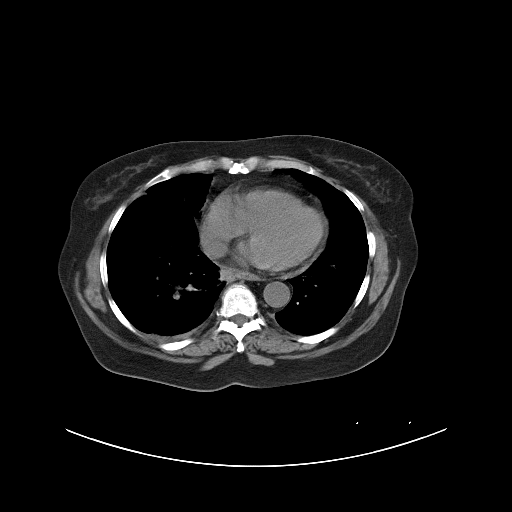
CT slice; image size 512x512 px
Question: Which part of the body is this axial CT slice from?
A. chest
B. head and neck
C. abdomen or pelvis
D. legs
Answer: A. chest
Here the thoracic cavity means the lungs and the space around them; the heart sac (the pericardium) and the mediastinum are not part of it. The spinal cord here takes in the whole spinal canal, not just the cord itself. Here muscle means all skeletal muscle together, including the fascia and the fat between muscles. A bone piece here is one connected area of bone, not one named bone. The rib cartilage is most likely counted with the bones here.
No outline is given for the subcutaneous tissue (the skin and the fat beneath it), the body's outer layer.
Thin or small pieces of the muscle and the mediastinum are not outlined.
{"muscle":[[[354,193],[366,202],[385,232],[388,246],[400,263],[399,275],[376,323],[347,345],[323,355],[263,365],[250,362],[244,353],[236,353],[202,370],[193,364],[121,346],[92,321],[75,294],[76,272],[85,264],[104,222],[118,206],[107,228],[110,236],[98,267],[101,283],[111,294],[107,303],[129,331],[156,336],[164,342],[158,344],[160,349],[175,351],[191,344],[195,340],[191,336],[215,318],[217,324],[211,337],[214,339],[222,331],[231,334],[238,353],[245,349],[243,338],[267,327],[267,322],[296,335],[293,338],[299,343],[317,344],[338,331],[336,324],[352,305],[359,305],[370,283],[366,271],[368,259],[376,252],[376,237],[366,229],[361,214],[364,206]],[[253,155],[286,155],[290,157],[294,157],[306,161],[308,163],[320,169],[322,169],[347,187],[343,187],[341,190],[338,189],[329,182],[320,177],[320,173],[313,166],[309,164],[305,164],[297,160],[284,159],[283,158],[266,158],[264,159],[259,155]],[[145,181],[146,181],[144,183],[144,187],[146,189],[145,190],[145,191],[141,195],[138,196],[135,199],[134,199],[127,206],[127,205],[124,203],[122,203],[121,204],[120,204],[120,203],[130,193],[130,192],[134,188],[135,188],[138,185],[143,183]],[[206,156],[219,156],[216,159],[214,159],[213,158],[207,158],[206,159],[200,159],[199,160],[197,160],[194,162],[192,162],[189,164],[186,164],[185,165],[174,165],[171,167],[166,167],[167,167],[168,166],[170,166],[171,165],[173,165],[174,164],[176,164],[177,163],[180,163],[181,162],[183,162],[184,161],[187,161],[188,160],[192,160],[193,159],[196,159],[197,158],[200,158],[201,157],[205,157]]],"mediastinum":[[[216,264],[233,271],[261,279],[265,279],[270,281],[287,280],[292,286],[292,295],[287,305],[283,309],[277,311],[273,317],[272,316],[268,317],[261,312],[258,307],[256,296],[245,284],[235,282],[224,289],[225,282],[220,279],[219,272],[220,268]],[[253,170],[274,170],[275,173],[291,175],[303,182],[307,189],[271,177],[246,177],[233,181],[222,189],[203,210],[197,226],[199,232],[199,239],[199,233],[195,224],[194,217],[199,215],[199,211],[206,199],[212,179],[212,175],[209,173],[227,171],[229,174],[247,174]]],"pericardium":[[[246,178],[278,179],[310,191],[315,194],[320,200],[329,224],[326,242],[319,255],[306,268],[296,275],[287,279],[273,280],[249,275],[222,266],[214,262],[200,249],[199,244],[200,232],[198,226],[202,218],[204,210],[206,209],[208,204],[231,183]]],"thoracic_cavity":[[[185,173],[211,175],[205,199],[193,219],[198,233],[198,248],[219,268],[219,279],[224,282],[224,286],[220,304],[214,312],[215,317],[209,324],[188,337],[164,341],[156,335],[137,329],[112,297],[108,286],[107,248],[112,232],[134,200],[148,188]],[[289,168],[319,177],[341,191],[361,215],[368,246],[365,274],[352,304],[334,325],[309,335],[292,333],[270,323],[265,317],[273,318],[288,305],[293,295],[293,286],[288,279],[302,272],[320,255],[330,229],[319,197],[303,181],[291,174],[274,171]]],"bones":[{"outer":[[235,283],[245,285],[253,293],[257,307],[267,323],[267,326],[263,326],[260,330],[252,330],[242,338],[244,346],[242,352],[237,351],[237,340],[231,333],[222,330],[214,338],[212,337],[213,330],[218,324],[215,312],[221,304],[221,295],[226,288]],"hole":[[237,314],[241,314],[242,315],[243,315],[244,316],[245,316],[246,317],[247,317],[247,318],[248,319],[245,322],[244,322],[240,326],[239,326],[235,322],[234,322],[231,319],[231,318],[233,316],[234,316],[235,315],[236,315]]},[[220,156],[235,161],[250,156],[259,156],[264,160],[297,161],[313,167],[319,176],[289,167],[271,170],[260,166],[247,173],[229,173],[226,169],[216,168],[203,172],[180,173],[146,188],[145,183],[165,168],[185,166],[200,160],[216,160]],[[335,325],[338,327],[338,329],[337,331],[336,331],[332,335],[325,338],[323,340],[317,343],[304,343],[303,342],[299,342],[297,341],[294,338],[294,337],[296,336],[309,336],[310,335],[317,334]],[[109,298],[112,298],[114,300],[115,303],[117,305],[117,306],[119,308],[123,315],[128,320],[128,321],[137,330],[138,330],[139,334],[136,334],[132,332],[125,326],[124,326],[118,320],[118,319],[115,316],[114,313],[112,311],[108,303],[108,299]],[[189,337],[191,337],[193,338],[194,340],[191,343],[179,349],[176,349],[175,350],[164,350],[159,347],[159,344],[161,343],[164,343],[165,342],[172,342],[173,341],[179,341],[180,340],[182,340],[183,339],[185,339]],[[366,273],[369,274],[369,275],[370,276],[370,277],[369,278],[369,283],[368,284],[367,289],[366,290],[361,301],[358,304],[358,305],[356,307],[353,307],[353,302],[356,297],[356,295],[360,288],[360,286],[363,281],[363,279],[364,278]],[[103,251],[105,251],[106,252],[106,256],[105,257],[105,261],[106,262],[106,268],[107,269],[107,285],[106,286],[104,286],[102,283],[102,281],[101,280],[101,275],[100,274],[100,268],[99,267],[99,262],[100,261],[100,256],[101,255],[101,254]],[[122,204],[124,204],[126,205],[126,207],[124,211],[122,213],[121,216],[119,218],[117,223],[115,225],[113,230],[111,232],[111,233],[109,233],[108,232],[108,228],[112,220],[112,218],[116,210],[119,207],[119,206]],[[366,230],[370,230],[371,231],[372,231],[372,232],[374,234],[374,236],[375,237],[375,252],[374,253],[374,255],[371,258],[370,257],[369,257],[369,246],[368,245],[368,242],[367,241],[367,235],[366,234]],[[343,188],[347,188],[349,190],[350,190],[358,198],[358,199],[361,202],[361,203],[362,204],[362,205],[363,206],[363,210],[361,212],[360,212],[359,211],[359,210],[355,206],[355,205],[352,202],[352,201],[342,191],[342,189]]],"torso":[[[282,134],[323,136],[366,148],[395,166],[411,186],[411,219],[418,259],[387,349],[369,364],[344,375],[268,388],[233,384],[214,391],[195,391],[117,374],[101,366],[84,341],[57,275],[57,261],[69,227],[70,205],[82,180],[111,159],[159,143]]],"spinal_cord":[[[237,314],[241,314],[242,315],[243,315],[244,316],[245,316],[246,317],[247,317],[247,318],[248,319],[245,322],[244,322],[240,326],[239,326],[235,322],[234,322],[231,319],[231,318],[233,316],[234,316],[235,315],[236,315]]]}